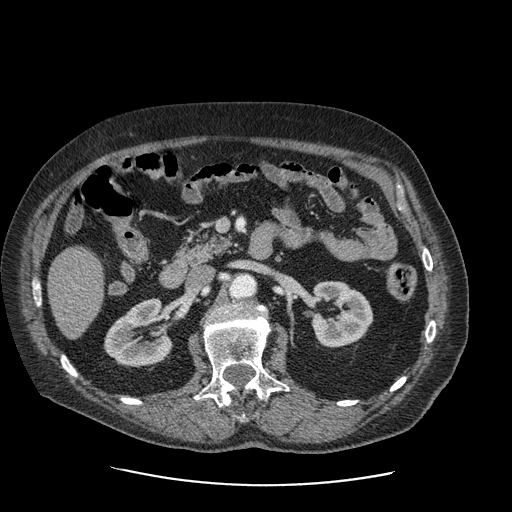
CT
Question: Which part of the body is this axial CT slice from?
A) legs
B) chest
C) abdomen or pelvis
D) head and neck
Answer: C) abdomen or pelvis
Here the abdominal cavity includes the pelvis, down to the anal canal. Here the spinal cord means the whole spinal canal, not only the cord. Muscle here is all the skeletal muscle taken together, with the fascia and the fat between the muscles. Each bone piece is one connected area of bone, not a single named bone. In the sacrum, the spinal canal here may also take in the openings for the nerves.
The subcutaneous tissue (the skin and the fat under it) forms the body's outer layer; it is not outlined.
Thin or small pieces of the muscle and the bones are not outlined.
{"abdominal_cavity":[[[225,140],[335,160],[375,181],[410,234],[427,287],[424,325],[413,362],[380,392],[334,400],[300,385],[288,372],[286,329],[254,301],[216,307],[205,316],[187,343],[191,377],[166,391],[105,391],[50,339],[44,259],[58,215],[82,179],[133,154]]],"torso":[[[203,100],[291,100],[336,106],[379,122],[415,152],[460,246],[469,285],[469,329],[449,382],[407,431],[330,453],[301,454],[256,447],[204,453],[138,440],[61,406],[38,391],[12,335],[0,275],[4,238],[20,198],[52,154],[97,122],[143,106]]],"muscle":[{"outer":[[205,134],[210,134],[211,135],[212,134],[231,134],[232,135],[244,135],[245,136],[264,136],[265,137],[290,138],[291,139],[311,141],[347,149],[352,149],[383,157],[397,164],[407,174],[416,191],[417,196],[419,198],[423,209],[427,213],[427,215],[432,223],[433,228],[438,236],[439,243],[444,253],[448,277],[450,282],[450,296],[449,297],[449,311],[439,348],[419,384],[403,403],[374,418],[362,427],[360,427],[356,431],[348,434],[346,436],[321,443],[284,442],[277,439],[272,435],[269,435],[256,428],[251,428],[250,427],[246,427],[241,429],[220,443],[211,443],[210,444],[209,443],[197,443],[189,441],[182,441],[179,439],[170,438],[158,433],[148,431],[140,426],[135,425],[133,423],[125,420],[118,415],[112,413],[107,409],[87,399],[85,399],[78,391],[52,367],[34,347],[24,326],[19,308],[19,298],[18,297],[18,272],[19,271],[20,249],[24,232],[34,209],[47,194],[62,180],[103,155],[133,145],[151,142],[156,140],[162,140],[163,139],[189,136],[190,135],[204,135]],"holes":[[[225,140],[321,155],[375,181],[419,257],[427,247],[433,269],[424,270],[423,318],[425,326],[435,320],[436,334],[427,344],[422,330],[400,388],[350,406],[317,396],[288,372],[288,333],[270,319],[262,363],[290,390],[272,392],[267,402],[250,395],[220,408],[211,397],[192,398],[212,374],[202,328],[187,343],[191,377],[175,389],[133,395],[141,405],[62,368],[31,281],[42,284],[68,198],[112,160]],[[397,180],[399,180],[403,184],[405,188],[406,198],[407,199],[407,201],[409,204],[409,206],[411,210],[411,214],[408,217],[406,217],[404,215],[400,213],[400,212],[398,211],[398,210],[395,206],[395,203],[396,202],[396,195],[395,194],[395,182]],[[242,413],[245,413],[245,415],[246,416],[246,417],[248,419],[248,421],[246,421],[245,422],[240,422],[239,421],[238,421],[238,420],[237,419],[237,416],[238,416],[239,415],[240,415]]]}],"bones":[{"outer":[[242,302],[254,302],[267,308],[271,332],[262,354],[262,363],[270,374],[286,383],[290,390],[272,392],[267,402],[250,395],[243,401],[234,399],[230,405],[221,408],[211,397],[195,400],[193,395],[209,382],[212,374],[202,337],[206,316],[216,308]],"hole":[[234,365],[247,365],[248,366],[251,367],[251,368],[254,371],[254,375],[242,386],[242,388],[241,389],[240,389],[237,386],[234,385],[232,383],[231,383],[227,380],[226,380],[223,376],[225,370],[228,367],[229,367],[230,366],[233,366]]},[[397,180],[399,180],[403,184],[405,188],[406,198],[407,199],[407,201],[409,204],[409,206],[411,210],[411,214],[408,217],[406,217],[404,215],[400,213],[400,212],[398,211],[398,210],[395,206],[395,203],[396,202],[396,195],[395,194],[395,182]],[[34,276],[36,276],[40,280],[40,284],[41,285],[41,296],[42,297],[42,305],[40,307],[37,307],[35,305],[35,303],[34,302],[34,300],[33,299],[33,295],[32,294],[32,286],[31,285],[31,281],[32,280],[32,278]],[[431,319],[434,319],[435,320],[435,322],[436,323],[436,334],[435,335],[435,337],[434,338],[434,340],[431,343],[430,343],[429,344],[427,344],[426,343],[426,342],[425,341],[425,335],[424,334],[424,329],[425,328],[425,326],[427,324],[427,323]],[[62,353],[64,353],[67,356],[67,357],[69,359],[69,360],[71,362],[71,363],[74,366],[74,367],[77,370],[77,371],[79,374],[78,377],[74,377],[73,376],[70,375],[63,368],[62,368],[62,367],[61,366],[61,363],[60,362],[60,355]],[[426,247],[427,247],[427,248],[430,252],[430,254],[432,258],[432,261],[433,262],[433,269],[431,272],[429,272],[427,271],[424,268],[424,266],[423,265],[423,263],[421,259],[421,253],[422,252],[422,250]],[[402,375],[406,375],[407,376],[407,379],[406,380],[406,381],[404,383],[404,384],[400,388],[399,388],[397,390],[396,390],[395,391],[394,391],[393,392],[390,392],[389,391],[389,387],[400,376],[401,376]]],"spinal_cord":[[[234,365],[247,365],[248,366],[251,367],[251,368],[254,371],[254,375],[242,386],[242,388],[241,389],[240,389],[237,386],[234,385],[232,383],[231,383],[227,380],[226,380],[223,376],[225,370],[228,367],[229,367],[230,366],[233,366]]]}